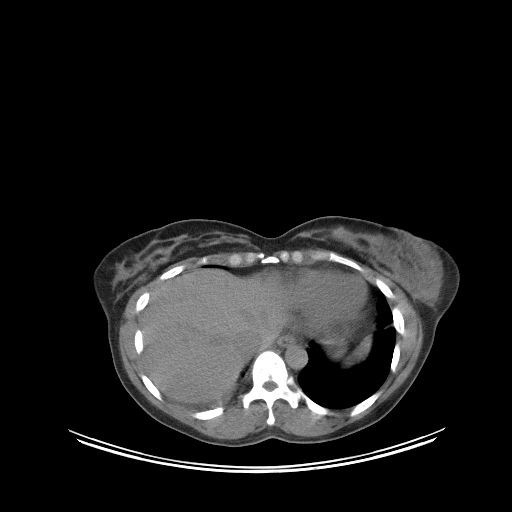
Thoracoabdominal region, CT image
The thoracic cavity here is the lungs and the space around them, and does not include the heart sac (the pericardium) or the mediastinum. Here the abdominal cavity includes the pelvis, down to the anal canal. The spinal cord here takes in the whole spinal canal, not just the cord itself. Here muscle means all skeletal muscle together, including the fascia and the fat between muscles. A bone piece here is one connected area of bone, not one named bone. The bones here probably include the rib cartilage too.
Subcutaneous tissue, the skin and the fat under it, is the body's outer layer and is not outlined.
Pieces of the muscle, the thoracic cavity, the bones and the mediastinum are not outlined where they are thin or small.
{"abdominal_cavity":[[[208,264],[244,272],[264,265],[279,267],[285,305],[309,322],[342,321],[364,310],[371,311],[377,328],[369,355],[363,362],[342,369],[328,360],[321,347],[303,331],[286,327],[255,356],[233,398],[202,407],[168,399],[144,369],[141,312],[162,281]]],"torso":[[[331,215],[406,229],[442,246],[458,266],[455,298],[437,324],[422,368],[399,402],[375,423],[334,440],[290,443],[269,438],[239,447],[197,440],[146,413],[123,387],[113,365],[106,318],[92,285],[103,256],[130,237],[178,220],[217,219],[275,237]]],"bones":[{"outer":[[265,350],[277,353],[302,391],[314,402],[333,413],[318,417],[312,414],[303,400],[293,408],[286,400],[279,398],[272,405],[275,420],[273,425],[269,425],[266,422],[268,409],[262,399],[253,400],[245,409],[240,395],[250,388],[251,365],[256,356]],"hole":[[269,381],[271,381],[272,382],[273,382],[274,383],[275,383],[276,384],[276,387],[275,388],[274,388],[272,390],[267,390],[263,386],[263,385],[264,384],[264,383],[265,383],[266,382],[268,382]]},[[295,250],[302,252],[304,255],[304,260],[301,263],[294,263],[291,261],[261,263],[257,260],[249,265],[242,264],[233,267],[228,265],[226,260],[230,255],[234,253],[244,254],[247,252],[262,252],[266,256],[278,256],[282,251],[291,252]],[[314,251],[333,251],[342,256],[344,256],[347,258],[349,258],[355,261],[361,267],[362,267],[364,269],[364,272],[360,272],[347,265],[345,265],[344,264],[342,264],[338,262],[335,262],[334,261],[329,261],[328,260],[313,260],[310,257],[310,254]],[[378,390],[380,390],[381,391],[381,393],[380,394],[380,395],[376,399],[376,400],[370,406],[369,406],[363,411],[362,411],[353,416],[351,416],[349,414],[350,413],[352,408],[355,405],[356,405],[360,402],[363,401]],[[220,405],[221,405],[223,407],[223,413],[219,416],[217,416],[210,419],[205,419],[204,420],[202,420],[201,419],[197,419],[193,417],[191,415],[191,414],[194,412],[197,412],[198,411],[203,411],[204,410],[207,410],[208,409],[212,409]],[[394,306],[397,306],[399,308],[399,309],[402,313],[402,315],[403,316],[403,320],[404,321],[404,328],[405,329],[405,334],[404,335],[401,335],[399,333],[398,333],[396,331],[395,328],[393,326],[393,315],[392,314],[392,312],[391,311],[391,308]],[[141,373],[143,373],[144,374],[145,374],[149,378],[149,379],[152,382],[152,383],[157,388],[157,389],[160,392],[160,393],[162,396],[162,400],[159,400],[157,398],[156,398],[147,389],[147,388],[143,383],[143,382],[140,377],[140,374]],[[375,278],[379,278],[380,279],[381,279],[385,283],[386,283],[394,294],[394,295],[395,296],[395,298],[394,298],[393,299],[391,299],[390,298],[387,298],[385,296],[385,295],[374,283],[374,279]],[[178,265],[185,265],[185,268],[181,272],[178,273],[176,275],[175,275],[172,277],[170,277],[169,278],[168,278],[167,279],[165,279],[164,280],[160,280],[159,279],[159,276],[162,273],[163,273],[167,270],[168,270],[173,267],[175,267]],[[397,341],[398,342],[399,342],[399,343],[400,344],[400,353],[399,354],[399,360],[397,363],[397,365],[396,366],[395,371],[394,372],[392,372],[390,370],[390,366],[391,365],[391,360],[392,359],[392,356],[393,355],[393,351],[394,350],[395,343]],[[146,291],[149,292],[149,299],[148,300],[146,305],[143,308],[143,309],[141,311],[139,311],[138,312],[136,312],[136,311],[135,310],[135,305],[136,304],[136,302],[137,301],[137,299],[140,296],[140,295],[141,294],[142,294],[144,292],[145,292]],[[137,329],[140,329],[141,330],[141,335],[142,336],[142,342],[143,343],[143,348],[142,349],[142,351],[140,354],[138,354],[137,353],[137,352],[136,351],[136,349],[135,348],[135,346],[134,345],[134,335],[135,334],[135,332]]],"pericardium":[[[302,263],[322,263],[327,265],[345,266],[352,270],[357,271],[367,280],[367,285],[369,289],[369,300],[364,305],[361,311],[347,319],[326,322],[318,321],[314,322],[299,317],[297,313],[290,310],[286,305],[282,289],[281,273],[286,267],[290,265]]],"spinal_cord":[[[269,381],[271,381],[272,382],[273,382],[274,383],[275,383],[276,384],[276,387],[275,388],[274,388],[272,390],[267,390],[263,386],[263,385],[264,384],[264,383],[265,383],[266,382],[268,382]]],"thoracic_cavity":[[[380,291],[387,299],[392,315],[392,326],[396,332],[389,371],[384,381],[376,391],[351,407],[330,409],[317,403],[303,391],[296,380],[308,363],[307,350],[310,341],[320,347],[328,361],[342,370],[363,363],[372,351],[374,335],[378,328],[376,305]]],"mediastinum":[[[286,328],[291,328],[294,330],[299,330],[303,332],[303,333],[311,340],[309,341],[308,347],[306,350],[308,356],[307,363],[299,372],[296,377],[289,373],[288,368],[284,359],[277,352],[272,349],[265,349],[267,348],[282,332],[282,331],[285,330]],[[368,280],[373,283],[379,290],[379,292],[377,296],[377,299],[376,300],[376,304],[375,305],[375,308],[377,312],[377,315],[374,315],[373,312],[369,309],[364,309],[362,310],[365,305],[368,302],[368,301],[370,300],[370,289],[368,285]],[[258,262],[261,264],[277,264],[280,262],[283,263],[288,263],[290,262],[295,264],[290,264],[286,266],[283,269],[282,272],[281,272],[280,267],[275,264],[259,265],[257,266],[255,269],[250,269],[244,271],[243,270],[236,269],[236,267],[249,266]]],"muscle":[[[356,261],[376,270],[399,288],[417,311],[423,328],[422,346],[408,376],[384,401],[360,419],[332,432],[310,437],[287,433],[272,426],[236,439],[215,438],[151,404],[127,375],[118,339],[122,315],[131,295],[160,274],[158,279],[161,281],[152,291],[150,293],[146,290],[136,299],[134,310],[141,313],[139,328],[133,335],[133,345],[136,353],[141,354],[145,372],[141,372],[139,377],[156,399],[162,401],[163,396],[195,411],[190,414],[193,418],[210,420],[224,413],[222,404],[234,398],[249,373],[251,384],[239,395],[242,407],[246,410],[253,401],[262,400],[267,409],[265,422],[269,426],[275,423],[273,405],[279,399],[286,401],[293,409],[303,401],[311,414],[318,418],[332,415],[332,410],[346,408],[351,408],[348,414],[353,417],[370,407],[381,395],[380,387],[389,372],[396,371],[400,360],[401,344],[396,341],[396,334],[406,334],[402,311],[397,305],[390,307],[388,302],[388,299],[396,298],[391,288],[379,277],[375,277],[372,282],[360,274],[359,272],[364,273],[365,269]],[[256,248],[258,248],[260,251],[247,251],[244,253],[234,252],[230,254],[225,259],[227,265],[225,264],[220,264],[219,263],[209,263],[209,257],[207,255],[205,255],[208,255],[213,253],[217,253],[218,252],[238,251],[239,250],[241,251],[254,251]],[[300,248],[321,248],[329,250],[314,250],[312,251],[309,254],[309,257],[314,261],[311,262],[304,262],[305,255],[302,251],[298,249],[297,249],[295,249],[294,250],[291,251],[282,250],[278,255],[273,254],[267,254],[266,255],[263,252],[270,254],[279,250],[292,250],[293,249]],[[190,257],[200,257],[197,261],[197,264],[199,265],[197,265],[195,267],[192,267],[189,269],[186,269],[184,270],[186,268],[186,265],[185,264],[178,264],[162,272],[168,266],[178,261],[180,261],[181,260],[183,260],[184,259],[186,259]]]}